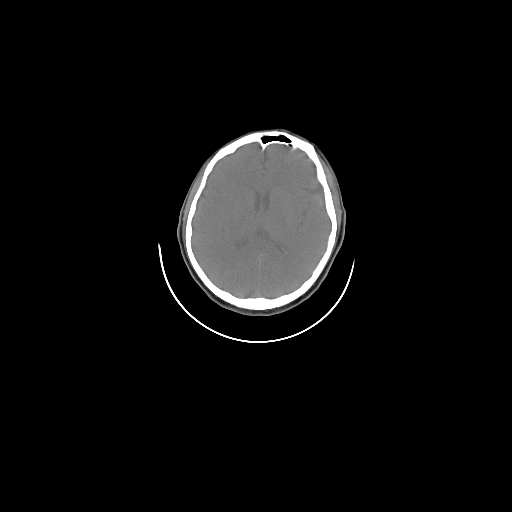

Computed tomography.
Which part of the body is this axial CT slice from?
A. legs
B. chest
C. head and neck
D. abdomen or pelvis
Answer: C. head and neck
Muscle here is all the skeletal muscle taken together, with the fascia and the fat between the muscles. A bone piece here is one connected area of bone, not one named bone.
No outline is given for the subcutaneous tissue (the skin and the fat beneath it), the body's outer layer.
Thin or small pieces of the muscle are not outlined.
brain: (255, 142) (262, 150) (276, 144) (305, 154) (314, 166) (315, 178) (321, 186) (324, 207) (330, 222) (325, 249) (310, 275) (295, 289) (275, 297) (241, 297) (221, 288) (203, 269) (192, 247) (192, 221) (199, 198) (214, 166) (219, 160) (232, 154) (241, 146)
muscle 1: (319, 156) (324, 161) (332, 175) (337, 190) (337, 194) (339, 198) (339, 205) (341, 209) (341, 221) (336, 241) (336, 232) (338, 227) (337, 218) (336, 217) (336, 210) (334, 205) (334, 201) (332, 197) (332, 192) (328, 184) (326, 174) (324, 171) (324, 168) (321, 163)
muscle 2: (204, 167) (199, 184) (195, 191) (195, 193) (193, 195) (193, 197) (189, 205) (189, 208) (186, 217) (186, 221) (185, 222) (185, 226) (184, 227) (184, 242) (182, 238) (182, 222) (183, 221) (183, 213) (185, 209) (185, 206) (189, 194) (192, 189) (192, 187) (200, 172)
head: (267, 127) (285, 127) (304, 136) (321, 148) (330, 162) (340, 186) (346, 210) (345, 234) (333, 266) (310, 299) (281, 314) (253, 317) (236, 314) (215, 305) (190, 279) (184, 269) (177, 243) (176, 229) (179, 211) (186, 192) (204, 160) (214, 150) (241, 133) (249, 129) with a hole at (278, 136) (284, 136) (287, 139) (287, 140) (278, 140) (277, 139) (273, 139) (272, 140) (269, 140) (268, 141) (267, 141) (266, 142) (264, 142) (263, 141) (263, 140) (262, 139) (263, 138) (263, 137) (277, 137)
bones: (269, 130) (287, 132) (307, 140) (314, 146) (331, 192) (335, 210) (337, 225) (335, 244) (321, 273) (299, 297) (279, 307) (246, 309) (221, 299) (200, 279) (186, 252) (184, 244) (185, 227) (191, 202) (200, 184) (205, 167) (214, 154) (222, 146) (241, 136) (252, 132) with holes at (255, 142) (262, 150) (276, 144) (305, 154) (314, 166) (315, 178) (321, 186) (324, 207) (330, 222) (325, 249) (310, 275) (295, 289) (275, 297) (241, 297) (221, 288) (203, 269) (192, 247) (192, 221) (199, 198) (214, 166) (219, 160) (232, 154) (241, 146) and at (278, 136) (284, 136) (287, 139) (287, 140) (278, 140) (277, 139) (273, 139) (272, 140) (269, 140) (268, 141) (267, 141) (266, 142) (264, 142) (263, 141) (263, 140) (262, 139) (263, 138) (263, 137) (277, 137)